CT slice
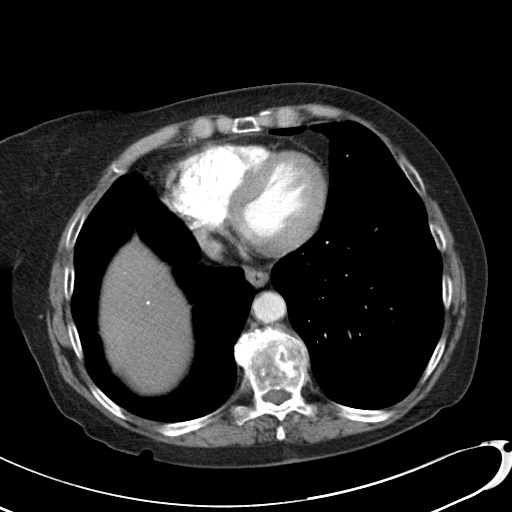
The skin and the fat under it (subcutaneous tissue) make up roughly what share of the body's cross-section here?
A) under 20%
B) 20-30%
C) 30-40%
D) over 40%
Answer: B) 20-30%
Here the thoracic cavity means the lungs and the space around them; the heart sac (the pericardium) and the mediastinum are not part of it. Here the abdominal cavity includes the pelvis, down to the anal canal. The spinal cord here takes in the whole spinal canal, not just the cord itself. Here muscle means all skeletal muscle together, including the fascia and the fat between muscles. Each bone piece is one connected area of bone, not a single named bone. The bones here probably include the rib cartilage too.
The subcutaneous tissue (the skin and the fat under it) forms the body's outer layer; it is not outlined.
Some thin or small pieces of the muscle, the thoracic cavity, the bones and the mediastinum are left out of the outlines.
Outlines:
torso: [[281,82],[327,83],[368,94],[415,124],[447,161],[479,228],[488,267],[471,383],[456,403],[412,429],[315,460],[255,468],[195,468],[162,463],[148,450],[134,455],[110,448],[58,410],[12,317],[10,270],[0,269],[0,140],[75,111],[147,109]]
muscle 1: [[111,161],[108,168],[114,174],[113,181],[88,213],[82,208],[76,212],[68,227],[64,246],[73,248],[73,259],[63,268],[63,292],[65,299],[70,300],[73,320],[66,324],[67,334],[76,357],[84,361],[93,382],[88,388],[97,401],[115,416],[127,420],[125,410],[160,422],[155,427],[156,431],[175,437],[206,426],[249,389],[250,403],[236,402],[230,407],[238,426],[263,415],[271,415],[282,422],[293,411],[315,421],[319,408],[302,393],[307,384],[310,394],[318,393],[331,400],[341,418],[368,423],[390,418],[395,411],[385,408],[405,398],[420,379],[421,383],[427,380],[441,359],[447,340],[441,333],[444,310],[449,309],[452,300],[453,282],[447,273],[443,273],[441,253],[446,250],[446,238],[442,228],[428,219],[421,197],[426,192],[423,181],[452,233],[454,248],[465,274],[465,319],[446,368],[427,395],[392,423],[311,444],[282,441],[286,433],[281,423],[275,428],[277,441],[274,442],[250,446],[192,447],[158,441],[112,421],[63,379],[45,318],[50,307],[50,272],[61,234]]
muscle 2: [[305,103],[321,103],[331,105],[349,111],[370,121],[378,130],[389,138],[403,152],[409,161],[402,154],[396,160],[386,144],[373,131],[357,121],[351,119],[331,119],[325,121],[306,121],[302,123],[300,111],[290,105],[286,105]]; inner edge: [[309,106],[321,106],[322,107],[325,107],[326,108],[333,109],[334,110],[336,110],[338,111],[339,112],[339,115],[337,117],[335,117],[334,118],[331,118],[330,117],[325,117],[324,116],[322,116],[321,117],[312,116],[305,110],[305,108]]
muscle 3: [[205,114],[225,114],[233,117],[230,117],[225,115],[220,115],[215,118],[213,118],[207,115],[200,116],[196,118],[187,127],[188,135],[185,135],[182,138],[172,140],[179,134],[180,129],[177,125],[170,125],[169,126],[166,126],[153,133],[151,133],[149,135],[147,135],[141,138],[139,140],[132,143],[134,141],[145,136],[147,134],[153,132],[162,126],[174,122],[181,121],[188,118],[191,118],[200,115],[204,115]]
muscle 4: [[130,144],[131,144],[130,145],[129,145],[120,154],[120,155],[117,158],[116,158],[115,159],[114,159],[113,160],[112,160],[116,156],[117,156],[118,155],[118,154],[119,154],[120,153],[120,152],[121,152],[128,145],[129,145]]
pericardium: [[247,132],[266,132],[268,134],[292,138],[302,147],[313,153],[327,168],[329,173],[329,186],[325,207],[317,230],[296,249],[272,262],[259,265],[244,265],[228,257],[219,247],[188,227],[156,193],[157,179],[165,163],[212,140],[224,139],[233,134]]
thoracic cavity 1: [[331,120],[357,122],[385,144],[421,198],[429,231],[441,257],[443,323],[440,336],[411,391],[384,408],[348,406],[328,398],[321,391],[312,374],[308,349],[292,326],[286,301],[271,279],[273,266],[309,240],[322,221],[330,186],[330,140],[310,125]]
thoracic cavity 2: [[127,170],[143,177],[156,196],[190,230],[199,249],[208,258],[227,267],[241,268],[254,290],[243,327],[233,345],[237,376],[231,395],[213,411],[195,418],[161,422],[131,413],[108,397],[94,383],[86,368],[71,309],[74,246],[92,208],[114,180]]; inner edge: [[135,230],[139,237],[162,260],[171,266],[171,271],[175,281],[192,305],[195,354],[189,372],[179,386],[173,391],[166,395],[155,397],[142,397],[133,393],[111,372],[104,356],[102,342],[98,334],[97,310],[102,277],[116,250],[134,233]]
spinal cord: [[271,390],[284,390],[286,392],[287,392],[288,393],[288,397],[285,400],[284,400],[282,402],[281,402],[278,404],[276,404],[273,402],[271,402],[270,401],[268,401],[267,400],[265,400],[265,399],[264,398],[264,396],[269,391],[270,391]]
bones 1: [[268,326],[303,341],[317,391],[310,393],[307,383],[301,393],[317,406],[315,420],[293,410],[282,421],[263,414],[238,425],[231,407],[252,402],[249,388],[200,428],[175,436],[157,431],[162,423],[195,419],[223,405],[244,375],[234,345],[242,333]], around a hole outlined by [[271,390],[284,390],[286,392],[287,392],[288,393],[288,397],[285,400],[284,400],[282,402],[281,402],[278,404],[276,404],[273,402],[271,402],[270,401],[268,401],[267,400],[265,400],[265,399],[264,398],[264,396],[269,391],[270,391]]
bones 2: [[281,106],[290,106],[299,111],[301,124],[296,126],[263,127],[260,131],[247,131],[239,133],[222,133],[216,131],[204,138],[189,135],[188,127],[200,117],[207,116],[215,119],[220,116],[230,118],[246,115],[257,116],[261,110],[267,108],[274,110]]
bones 3: [[170,126],[177,126],[179,129],[178,134],[174,138],[166,143],[153,148],[142,154],[129,166],[128,169],[121,175],[114,179],[115,174],[110,171],[109,168],[112,161],[117,159],[132,144],[147,136],[149,136],[151,134],[153,134],[166,127],[169,127]]
bones 4: [[332,401],[348,407],[356,408],[357,409],[363,409],[364,410],[385,409],[386,410],[392,410],[394,411],[394,413],[390,417],[382,421],[368,422],[367,421],[352,420],[345,417],[341,417],[339,416],[338,415],[338,409],[332,404],[331,402]]
bones 5: [[401,155],[404,156],[405,158],[417,170],[422,180],[422,182],[423,183],[423,185],[425,189],[425,192],[424,193],[420,195],[417,192],[417,191],[415,189],[415,188],[413,186],[411,182],[408,179],[405,173],[399,165],[397,161],[399,157]]
bones 6: [[93,383],[95,384],[95,385],[97,386],[97,387],[99,388],[99,389],[108,398],[109,398],[114,403],[123,409],[123,413],[127,417],[127,419],[123,419],[115,415],[109,410],[108,410],[98,401],[98,400],[93,395],[89,388],[89,385]]
bones 7: [[81,209],[82,209],[86,213],[87,213],[87,215],[79,230],[79,232],[77,235],[77,237],[75,240],[75,243],[73,247],[66,248],[65,246],[65,241],[66,240],[66,237],[67,236],[67,233],[68,232],[69,227],[73,219],[75,217],[77,212]]
bones 8: [[442,336],[444,336],[446,340],[445,341],[445,346],[444,347],[443,352],[440,357],[440,359],[426,380],[423,382],[421,382],[421,377],[423,374],[423,372],[427,366],[427,364],[436,347],[436,345],[440,337]]
bones 9: [[72,321],[73,321],[75,325],[75,327],[77,330],[77,333],[78,334],[79,340],[80,341],[81,347],[82,348],[82,352],[83,353],[83,359],[81,360],[77,357],[73,349],[73,347],[71,344],[70,338],[68,334],[67,324],[69,322],[71,322]]
bones 10: [[71,264],[72,264],[73,265],[73,268],[74,269],[74,278],[73,279],[73,291],[72,292],[72,294],[71,295],[71,298],[69,300],[67,300],[66,299],[66,298],[65,297],[65,293],[64,292],[64,268],[65,267],[65,266],[66,265],[70,265]]
bones 11: [[443,274],[447,274],[450,277],[451,279],[451,281],[452,282],[452,294],[451,295],[451,300],[450,301],[450,304],[449,305],[449,307],[448,309],[446,310],[444,309],[444,306],[443,305],[443,302],[442,301],[442,275]]
bones 12: [[309,106],[321,106],[322,107],[325,107],[326,108],[333,109],[334,110],[336,110],[338,111],[339,112],[339,115],[337,117],[335,117],[334,118],[331,118],[330,117],[325,117],[324,116],[322,116],[321,117],[312,116],[305,110],[305,108]]
bones 13: [[429,221],[439,226],[441,228],[443,232],[443,234],[445,238],[445,242],[446,243],[445,245],[445,250],[443,252],[440,252],[440,251],[438,250],[436,246],[436,244],[435,243],[434,238],[430,231],[430,228],[429,227]]
abdominal cavity: [[135,230],[139,237],[162,260],[171,266],[171,271],[175,281],[192,305],[195,354],[189,372],[179,386],[173,391],[166,395],[155,397],[142,397],[133,393],[111,372],[104,356],[102,342],[98,334],[97,310],[102,277],[116,250],[134,233]]
mediastinum 1: [[190,229],[219,248],[228,258],[244,266],[259,266],[278,260],[271,269],[271,283],[285,301],[289,322],[298,335],[294,335],[280,327],[272,327],[269,325],[242,332],[255,295],[253,286],[245,278],[244,271],[241,267],[227,266],[208,257],[200,249]]
mediastinum 2: [[216,132],[222,134],[234,133],[229,136],[224,138],[212,139],[202,143],[197,147],[165,162],[159,170],[159,174],[156,179],[155,191],[141,174],[135,170],[129,169],[130,166],[142,155],[168,142],[182,139],[185,136],[194,136],[200,139],[204,139]]
mediastinum 3: [[306,122],[314,122],[311,123],[309,125],[309,127],[312,130],[316,132],[321,132],[324,134],[329,140],[328,169],[328,168],[323,164],[322,161],[313,152],[309,149],[302,146],[292,137],[285,136],[296,135],[303,132],[308,127],[306,124],[302,124]]
mediastinum 4: [[310,364],[310,369],[311,370],[311,374],[312,375],[312,377],[315,381],[315,382],[317,384],[320,391],[327,398],[326,398],[324,396],[323,396],[321,394],[317,392],[318,390],[316,388],[316,384],[312,379],[311,377],[311,375],[310,374]]